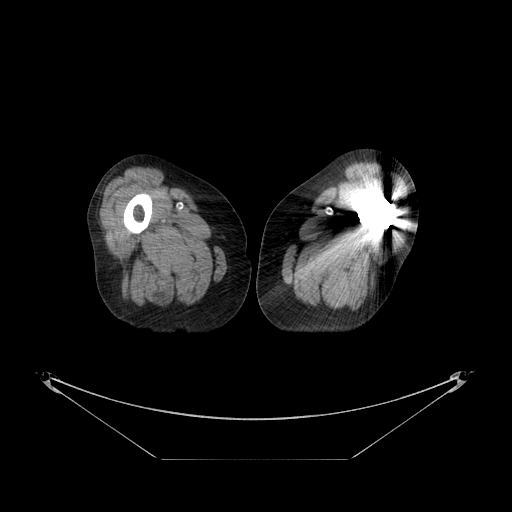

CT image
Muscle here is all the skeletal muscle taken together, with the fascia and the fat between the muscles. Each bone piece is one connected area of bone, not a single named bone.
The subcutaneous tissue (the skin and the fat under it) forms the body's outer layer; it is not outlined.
The muscle appears in 2 outlined pieces: piece 1: 362,160 382,161 397,170 407,180 411,193 411,213 406,244 401,252 389,264 380,278 376,291 374,290 373,297 364,307 348,314 318,315 301,307 289,298 283,285 281,275 283,257 314,199 346,165 354,161 with a hole at 371,186 376,187 377,190 380,192 382,195 383,210 384,211 383,213 383,221 379,226 377,226 373,228 366,228 361,225 361,223 359,220 359,217 357,213 353,209 352,199 354,197 357,190 359,188 370,187; piece 2: 132,166 151,166 158,168 167,173 187,191 197,202 224,252 227,269 222,282 199,301 187,308 164,311 140,311 129,305 126,305 121,298 118,276 114,262 108,252 102,230 100,228 98,207 108,181 119,172, around a hole outlined by 141,192 144,192 150,195 151,199 152,200 152,213 151,214 150,221 147,227 140,233 136,234 135,233 131,233 125,227 123,223 123,212 124,211 125,206 128,202 128,201 134,195 135,195 137,193 140,193. The right leg is outlined by 141,152 159,155 215,186 232,204 245,228 247,253 251,260 248,292 237,313 221,327 211,332 154,334 147,330 136,330 117,319 106,307 98,292 93,250 86,222 87,208 93,191 103,174 122,158. The left leg is outlined by 360,147 376,148 392,155 409,172 416,188 419,208 418,224 412,248 397,274 387,299 371,319 361,327 348,333 339,334 296,334 283,332 265,317 256,296 255,281 258,255 266,220 276,204 292,189 341,153. The bones appear in 2 outlined pieces: piece 1: 371,186 376,187 377,190 380,192 382,195 383,210 384,211 383,213 383,221 379,226 377,226 373,228 366,228 361,225 361,223 359,220 359,217 357,213 353,209 352,199 354,197 357,190 359,188 370,187; piece 2: 141,192 144,192 150,195 151,199 152,200 152,213 151,214 150,221 147,227 140,233 136,234 135,233 131,233 125,227 123,223 123,212 124,211 125,206 128,202 128,201 134,195 135,195 137,193 140,193.